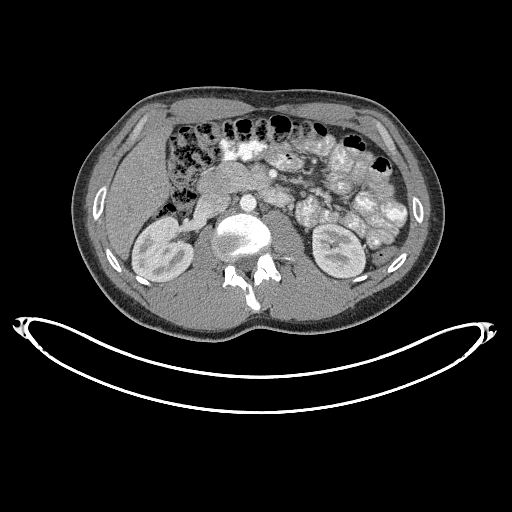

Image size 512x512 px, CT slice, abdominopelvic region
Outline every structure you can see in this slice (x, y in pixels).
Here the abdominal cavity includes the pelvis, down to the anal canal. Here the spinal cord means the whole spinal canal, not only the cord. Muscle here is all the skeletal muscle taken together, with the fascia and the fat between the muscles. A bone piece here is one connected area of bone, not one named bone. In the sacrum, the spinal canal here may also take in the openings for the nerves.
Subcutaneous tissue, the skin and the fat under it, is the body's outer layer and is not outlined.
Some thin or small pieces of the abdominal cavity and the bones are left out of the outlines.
The bones appear in 8 outlined pieces: piece 1: 254 312; 259 310; 260 304; 253 287; 263 279; 272 278; 278 281; 280 274; 269 249; 271 234; 267 224; 256 216; 236 213; 225 217; 216 225; 212 233; 212 247; 217 256; 226 263; 223 287; 229 284; 240 286; 246 293; 246 303, around a hole outlined by 243 275; 244 273; 248 271; 253 270; 255 268; 255 266; 256 265; 256 261; 258 257; 258 255; 257 254; 254 254; 253 255; 244 255; 243 256; 240 256; 238 257; 237 259; 234 262; 234 265; 236 267; 237 272; 239 274; 242 274; piece 2: 94 220; 97 220; 99 218; 103 210; 103 204; 104 203; 104 200; 105 199; 105 197; 107 193; 107 185; 105 184; 104 185; 102 185; 98 189; 95 195; 94 200; 93 201; 93 205; 92 206; 92 216; piece 3: 392 153; 395 153; 396 151; 396 147; 395 146; 395 144; 393 140; 391 138; 390 135; 388 133; 387 130; 385 128; 385 127; 379 121; 376 120; 375 121; 376 123; 376 127; 379 133; 381 135; 384 142; 386 144; 388 148; 392 152; piece 4: 419 223; 421 223; 423 220; 423 216; 424 215; 424 213; 423 212; 423 207; 422 206; 422 205; 421 204; 421 202; 419 200; 419 199; 416 196; 412 196; 412 209; 413 210; 413 214; 415 217; 415 219; 417 221; 417 222; 418 222; piece 5: 130 143; 133 143; 133 140; 135 138; 136 138; 137 137; 137 135; 138 134; 140 129; 147 120; 147 119; 148 118; 148 116; 147 115; 147 114; 145 114; 142 116; 142 117; 138 121; 138 122; 133 128; 132 131; 128 136; 128 141; piece 6: 388 273; 390 272; 392 272; 396 270; 402 265; 402 264; 405 260; 405 258; 407 254; 405 252; 402 252; 400 254; 399 254; 398 256; 396 257; 395 259; 389 265; 387 269; 387 272; piece 7: 118 272; 121 272; 121 268; 119 265; 119 263; 118 262; 116 257; 113 254; 113 253; 111 251; 111 250; 108 247; 107 247; 105 249; 105 252; 106 253; 106 256; 107 257; 107 259; 108 260; 109 263; 111 265; 111 266; piece 8: 145 285; 150 285; 150 283; 147 280; 146 280; 145 279; 144 279; 143 278; 142 278; 141 277; 140 277; 139 276; 138 276; 137 275; 136 275; 135 276; 135 277; 136 278; 136 279; 140 283; 142 283; 143 284; 144 284. The spinal cord is outlined by 243 275; 244 273; 248 271; 253 270; 255 268; 255 266; 256 265; 256 261; 258 257; 258 255; 257 254; 254 254; 253 255; 244 255; 243 256; 240 256; 238 257; 237 259; 234 262; 234 265; 236 267; 237 272; 239 274; 242 274. The abdominal cavity is outlined by 151 283; 191 267; 194 241; 207 224; 214 227; 236 212; 261 218; 271 210; 290 219; 305 252; 326 275; 351 280; 367 274; 386 265; 407 235; 410 209; 402 176; 369 135; 313 118; 253 111; 159 125; 118 162; 102 214; 118 260. The torso is outlined by 204 342; 225 341; 258 328; 319 334; 352 327; 393 306; 421 279; 443 234; 443 193; 429 158; 389 109; 372 99; 333 90; 191 86; 156 92; 140 99; 93 146; 80 166; 71 198; 74 237; 88 271; 111 303; 131 320; 168 335. The muscle is outlined by 202 332; 222 331; 234 327; 243 322; 249 315; 253 313; 261 313; 272 318; 293 322; 313 321; 328 318; 344 311; 363 298; 372 295; 375 292; 395 283; 398 280; 400 280; 409 271; 420 254; 428 234; 430 218; 430 202; 428 191; 424 181; 424 177; 420 170; 418 162; 408 145; 400 135; 396 126; 389 118; 375 109; 361 108; 350 104; 328 102; 306 102; 305 103; 286 103; 273 107; 270 106; 256 107; 235 99; 205 96; 204 97; 186 97; 180 98; 174 101; 152 102; 142 106; 132 114; 120 131; 106 145; 104 150; 99 155; 92 169; 85 191; 84 218; 87 233; 101 268; 117 288; 152 313; 176 325 with holes at 254 312; 260 304; 253 287; 280 279; 269 249; 271 234; 261 219; 271 210; 290 219; 305 252; 330 277; 361 281; 393 258; 410 215; 397 166; 364 132; 313 118; 253 111; 162 124; 134 143; 148 118; 143 115; 110 187; 102 185; 93 201; 93 219; 105 217; 109 263; 121 272; 121 261; 145 285; 169 281; 191 267; 194 241; 211 224; 212 247; 226 263; 222 285; 240 286 and at 392 153; 395 153; 396 151; 396 147; 395 146; 395 144; 393 140; 391 138; 390 135; 388 133; 387 130; 385 128; 385 127; 379 121; 376 120; 375 121; 376 123; 376 127; 379 133; 381 135; 384 142; 386 144; 388 148; 392 152 and at 419 223; 421 223; 423 220; 423 216; 424 215; 424 213; 423 212; 423 207; 422 206; 422 205; 421 204; 421 202; 419 200; 419 199; 416 196; 412 196; 412 209; 413 210; 413 214; 415 217; 415 219; 417 221; 417 222; 418 222 and at 388 273; 390 272; 392 272; 396 270; 402 265; 402 264; 405 260; 405 258; 407 254; 405 252; 402 252; 400 254; 399 254; 398 256; 396 257; 395 259; 389 265; 387 269; 387 272 and at 287 260; 294 260; 294 259; 292 257; 289 257; 288 256; 283 256; 281 258; 282 259; 286 259.